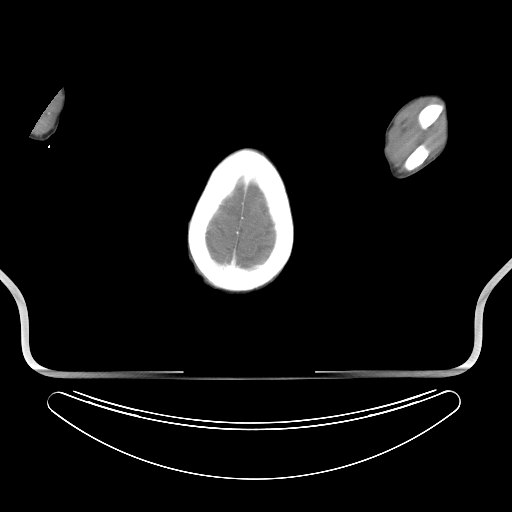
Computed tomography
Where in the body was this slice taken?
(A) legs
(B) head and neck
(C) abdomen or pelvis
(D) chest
(B) head and neck
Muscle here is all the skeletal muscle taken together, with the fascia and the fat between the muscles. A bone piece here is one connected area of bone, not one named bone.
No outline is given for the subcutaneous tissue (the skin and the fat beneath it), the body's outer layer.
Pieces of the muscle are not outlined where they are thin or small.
{"bones":[{"outer":[[244,147],[249,147],[259,150],[265,154],[279,170],[279,172],[285,183],[291,204],[295,228],[295,235],[291,255],[281,271],[277,275],[263,285],[253,289],[236,291],[220,288],[213,285],[198,271],[188,250],[187,225],[196,200],[214,166],[227,154]],"hole":[[240,182],[245,188],[252,182],[260,190],[264,198],[274,231],[273,244],[268,255],[263,261],[256,263],[250,267],[243,267],[238,265],[234,258],[231,259],[229,262],[217,261],[211,255],[206,238],[208,226],[211,220],[224,200],[233,193],[236,186]]},[[441,102],[443,102],[444,103],[445,105],[445,109],[439,115],[439,116],[435,121],[434,121],[426,128],[423,129],[420,126],[418,122],[418,119],[417,118],[418,117],[418,114],[420,112],[420,111],[428,104],[430,104],[431,103],[440,103]],[[423,143],[429,150],[429,154],[428,155],[428,156],[421,164],[420,164],[418,166],[417,166],[415,168],[414,168],[411,170],[407,170],[405,168],[405,167],[404,166],[404,162],[405,161],[405,160],[407,158],[407,157],[419,145],[420,145]]],"brain":[[[240,182],[245,188],[252,182],[260,190],[264,198],[274,231],[273,244],[268,255],[263,261],[256,263],[250,267],[243,267],[238,265],[234,258],[231,259],[229,262],[217,261],[211,255],[206,238],[208,226],[211,220],[224,200],[233,193],[236,186]]],"right_arm":[[[63,87],[64,87],[65,89],[65,104],[61,113],[61,116],[59,120],[59,124],[56,131],[45,141],[36,141],[35,140],[30,139],[29,138],[29,135],[31,133],[36,122],[38,120],[38,118],[40,117],[41,114],[56,94],[61,89],[61,88]]],"head":[[[244,146],[251,146],[265,152],[279,170],[285,183],[291,204],[295,226],[295,239],[293,244],[292,255],[281,275],[272,285],[261,291],[249,295],[225,295],[204,285],[192,271],[186,257],[186,224],[192,213],[196,200],[214,166],[226,154],[232,150]]],"left_arm":[[[429,92],[436,92],[443,95],[447,102],[447,109],[448,110],[448,117],[449,118],[449,140],[447,146],[441,155],[429,165],[417,173],[404,179],[395,179],[390,174],[388,166],[382,153],[385,129],[392,116],[405,102],[417,95]]],"muscle":[[[426,96],[434,96],[442,101],[425,105],[417,114],[417,122],[424,130],[435,122],[444,111],[444,141],[437,152],[426,161],[430,150],[423,142],[419,144],[403,162],[403,166],[407,171],[400,172],[394,166],[388,153],[389,132],[397,115],[407,105]],[[58,92],[58,96],[60,97],[60,105],[57,111],[57,113],[56,114],[52,127],[48,131],[40,136],[37,136],[35,135],[33,133],[32,130],[36,122],[38,120],[38,118],[40,117],[41,114],[44,111],[48,104],[50,103]]]}